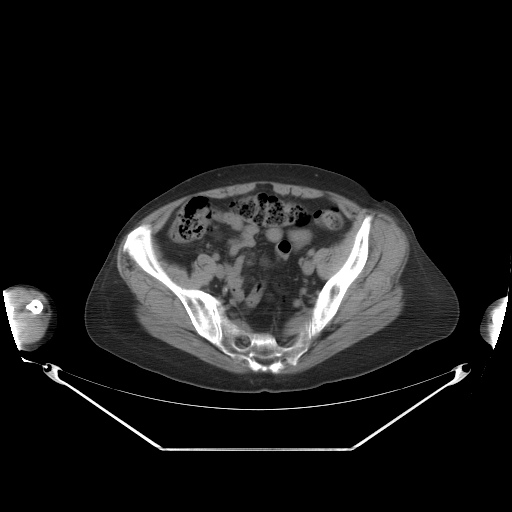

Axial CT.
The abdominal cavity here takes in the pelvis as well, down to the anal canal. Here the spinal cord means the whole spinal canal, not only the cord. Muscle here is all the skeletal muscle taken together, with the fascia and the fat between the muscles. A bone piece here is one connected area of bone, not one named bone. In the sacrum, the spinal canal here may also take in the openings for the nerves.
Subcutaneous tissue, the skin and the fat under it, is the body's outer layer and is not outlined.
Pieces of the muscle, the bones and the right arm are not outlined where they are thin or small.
The spinal cord appears in 3 outlined pieces: piece 1: 240,337 246,337 249,340 249,342 248,343 248,344 247,345 241,345 238,342 238,339; piece 2: 257,359 263,359 264,360 266,360 267,359 270,359 271,360 273,360 270,363 269,363 268,364 263,364 262,363 261,363 260,362 259,362 257,360; piece 3: 282,338 283,338 284,338 285,338 286,339 286,340 286,341 285,342 284,343 284,344 283,344 282,344 281,344 280,343 279,342 279,341 280,340 281,339. The torso is outlined by 253,161 301,163 331,170 357,181 373,197 395,204 457,294 460,316 453,332 363,375 310,389 284,392 240,393 198,387 141,368 97,346 84,325 84,305 116,235 129,218 145,203 193,175 226,164. The bones appear in 2 outlined pieces: piece 1: 367,214 372,219 362,270 308,350 295,365 286,364 276,374 253,371 246,360 231,357 198,334 179,298 123,251 127,234 148,224 155,256 174,282 220,300 224,313 245,332 274,337 311,318 318,293 348,257 with holes at 240,337 246,337 249,340 249,342 248,343 248,344 247,345 241,345 238,342 238,339 and at 257,359 263,359 264,360 266,360 267,359 270,359 271,360 273,360 270,363 269,363 268,364 263,364 262,363 261,363 260,362 259,362 257,360; piece 2: 33,299 38,299 42,303 42,304 43,305 43,308 42,309 42,310 41,311 41,312 40,313 39,313 38,314 33,314 29,310 28,310 27,309 26,309 25,308 25,306 31,300 32,300. The right arm is outlined by 16,283 29,283 45,290 52,297 57,308 58,324 53,336 46,343 43,344 33,351 25,351 22,347 22,344 20,342 17,328 14,321 14,309 13,306 11,305 11,303 6,294 9,292 8,287 10,285. The muscle appears in 6 outlined pieces: piece 1: 258,180 331,191 362,207 385,212 396,220 409,242 408,259 399,280 404,301 401,313 380,330 320,363 293,374 277,374 286,365 295,366 300,357 309,350 312,339 335,316 348,288 366,264 372,214 367,213 363,217 347,257 340,267 324,280 318,274 314,254 321,248 328,248 342,240 353,221 336,202 325,196 304,198 289,193 280,194 270,184 258,184 245,193 222,198 204,194 193,195 173,209 155,237 163,257 185,268 189,274 193,262 200,254 206,254 213,259 215,272 205,290 183,287 170,277 156,256 152,229 148,223 131,229 152,211 188,194; piece 2: 126,234 122,245 122,251 126,253 144,272 163,284 178,298 196,333 231,358 246,361 248,367 254,372 234,373 212,365 152,336 142,327 135,315 134,305 136,300 134,295 120,276 116,266 117,248 121,239; piece 3: 16,287 30,288 40,292 43,294 43,295 47,299 49,307 51,310 51,316 44,335 39,340 33,343 29,343 28,344 24,344 22,345 19,339 17,328 14,321 14,309 6,294 9,292 9,290 13,289, around a hole outlined by 33,299 38,299 42,303 42,304 43,305 43,308 42,309 42,310 41,311 41,312 40,313 39,313 38,314 33,314 29,310 28,310 27,309 26,309 25,308 25,306 31,300 32,300; piece 4: 306,309 311,309 311,314 310,315 310,318 307,321 306,321 303,325 300,325 299,326 296,326 292,328 289,328 288,329 286,329 286,324 294,316 295,316 296,314 298,314 301,312 303,312 304,310; piece 5: 500,301 501,301 499,304 499,306 493,312 491,313 491,319 493,323 490,327 490,332 488,334 488,339 488,337 487,336 487,331 486,330 486,326 488,325 487,324 487,318 488,317 488,313 492,309 492,308; piece 6: 231,318 232,319 233,318 234,319 239,319 240,320 241,320 242,321 245,322 245,323 246,324 247,324 247,325 249,328 249,331 245,331 243,329 242,329 235,322 234,322 232,320 231,320 230,319. The left arm is outlined by 497,298 501,298 501,301 499,304 499,306 491,313 491,319 493,323 490,327 490,332 488,334 488,341 489,342 489,343 488,343 481,337 479,333 479,324 480,323 480,321 481,320 481,318 485,308 492,301. The abdominal cavity is outlined by 258,185 270,185 280,195 325,197 352,221 342,239 313,254 317,274 325,281 313,306 296,313 274,336 230,318 222,301 206,291 216,272 211,256 200,253 189,273 164,257 156,237 174,209 191,197 222,199.